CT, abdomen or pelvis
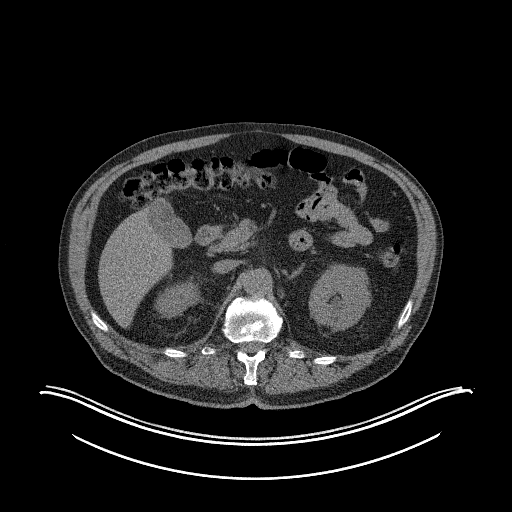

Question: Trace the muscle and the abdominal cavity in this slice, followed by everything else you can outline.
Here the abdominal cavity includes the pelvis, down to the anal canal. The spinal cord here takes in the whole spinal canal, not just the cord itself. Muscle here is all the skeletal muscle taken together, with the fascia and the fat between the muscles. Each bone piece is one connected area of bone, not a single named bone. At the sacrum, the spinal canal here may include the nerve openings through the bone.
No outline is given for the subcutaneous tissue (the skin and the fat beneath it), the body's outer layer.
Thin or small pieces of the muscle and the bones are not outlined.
Answer: Outlines (x, y in pixels):
muscle: (253, 129) (261, 129) (279, 133) (300, 134) (325, 139) (355, 148) (374, 157) (381, 162) (391, 165) (403, 173) (420, 190) (430, 207) (435, 222) (436, 254) (433, 270) (421, 304) (413, 316) (411, 321) (411, 328) (403, 343) (369, 365) (354, 372) (343, 380) (329, 386) (307, 390) (300, 390) (292, 393) (268, 394) (257, 387) (248, 387) (247, 386) (239, 387) (235, 391) (225, 392) (216, 388) (202, 388) (195, 385) (182, 385) (163, 381) (154, 377) (129, 361) (115, 356) (100, 346) (92, 334) (92, 332) (76, 302) (73, 289) (71, 286) (68, 273) (68, 245) (69, 244) (69, 234) (71, 228) (71, 220) (77, 203) (87, 189) (98, 178) (115, 165) (129, 160) (146, 150) (158, 146) (206, 135) (230, 132) (241, 132); inner edges: (250, 133) (385, 174) (407, 197) (417, 237) (413, 303) (400, 328) (395, 324) (376, 347) (324, 365) (312, 361) (324, 353) (285, 338) (282, 327) (266, 345) (255, 385) (244, 383) (236, 345) (221, 332) (170, 357) (163, 347) (96, 326) (86, 290) (98, 205) (118, 177), then (288, 349) (289, 349) (290, 350) (294, 350) (295, 349) (299, 349) (300, 350) (302, 350) (305, 353) (305, 356) (303, 358) (294, 358) (293, 357) (289, 357) (288, 356) (288, 355) (287, 354) (287, 350), then (203, 347) (212, 347) (213, 348) (215, 348) (215, 349) (216, 350) (216, 352) (214, 354) (203, 354) (201, 352) (201, 349)
abdominal cavity: (250, 133) (353, 158) (385, 174) (407, 197) (416, 225) (415, 281) (391, 331) (376, 347) (325, 354) (285, 338) (283, 317) (269, 299) (257, 294) (234, 297) (225, 308) (221, 332) (194, 348) (135, 341) (94, 309) (86, 290) (86, 264) (98, 205) (108, 187) (137, 166)
spinal cord: (252, 341) (255, 341) (256, 342) (259, 342) (262, 344) (262, 347) (260, 349) (259, 349) (255, 353) (254, 353) (253, 354) (248, 354) (246, 352) (245, 352) (244, 351) (243, 351) (240, 349) (240, 344) (241, 343) (243, 343) (244, 342) (251, 342)
bones 1: (254, 295) (262, 296) (269, 300) (282, 317) (283, 323) (278, 335) (266, 345) (267, 352) (265, 358) (257, 365) (257, 384) (247, 385) (243, 381) (246, 372) (245, 365) (237, 359) (236, 345) (224, 336) (221, 327) (224, 321) (226, 308) (234, 298) (239, 296) (250, 297); inner edge: (252, 341) (255, 341) (256, 342) (259, 342) (262, 344) (262, 347) (260, 349) (259, 349) (255, 353) (254, 353) (253, 354) (248, 354) (246, 352) (245, 352) (244, 351) (243, 351) (240, 349) (240, 344) (241, 343) (243, 343) (244, 342) (251, 342)
bones 2: (409, 298) (411, 298) (413, 301) (413, 303) (412, 304) (412, 308) (411, 309) (411, 312) (410, 313) (410, 315) (409, 316) (407, 321) (400, 328) (397, 328) (396, 327) (396, 323) (399, 318) (399, 316) (400, 315) (400, 314) (401, 313) (404, 306) (406, 304) (406, 303)
bones 3: (92, 309) (94, 310) (95, 312) (99, 316) (99, 317) (101, 318) (101, 319) (103, 320) (103, 321) (105, 322) (108, 325) (108, 327) (109, 328) (108, 331) (104, 331) (95, 325) (90, 315) (90, 311)
bones 4: (324, 355) (336, 355) (337, 356) (337, 358) (335, 361) (334, 361) (333, 362) (332, 362) (329, 364) (326, 364) (325, 365) (324, 365) (323, 364) (315, 364) (314, 363) (313, 363) (312, 360) (314, 358) (315, 358) (316, 357) (320, 357) (321, 356) (323, 356)
bones 5: (166, 347) (170, 347) (171, 348) (174, 348) (175, 349) (177, 349) (181, 351) (184, 351) (187, 354) (186, 356) (184, 357) (179, 357) (178, 358) (174, 358) (173, 357) (170, 357) (164, 354) (162, 352) (164, 348)
torso: (242, 121) (303, 124) (361, 139) (409, 170) (438, 210) (444, 247) (431, 313) (400, 365) (368, 388) (340, 399) (289, 409) (262, 410) (254, 404) (228, 409) (193, 405) (155, 394) (110, 372) (69, 315) (58, 278) (58, 243) (68, 203) (83, 181) (109, 157) (141, 139)